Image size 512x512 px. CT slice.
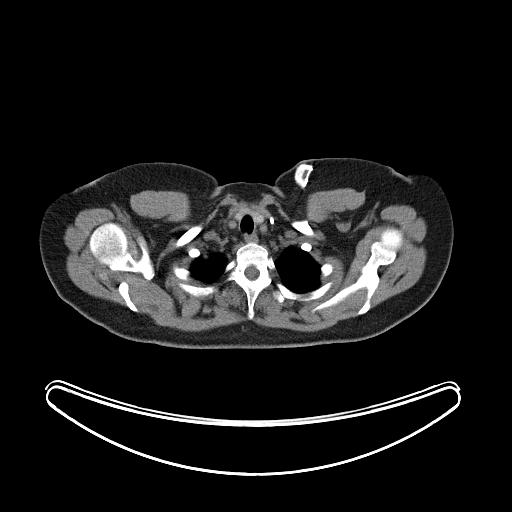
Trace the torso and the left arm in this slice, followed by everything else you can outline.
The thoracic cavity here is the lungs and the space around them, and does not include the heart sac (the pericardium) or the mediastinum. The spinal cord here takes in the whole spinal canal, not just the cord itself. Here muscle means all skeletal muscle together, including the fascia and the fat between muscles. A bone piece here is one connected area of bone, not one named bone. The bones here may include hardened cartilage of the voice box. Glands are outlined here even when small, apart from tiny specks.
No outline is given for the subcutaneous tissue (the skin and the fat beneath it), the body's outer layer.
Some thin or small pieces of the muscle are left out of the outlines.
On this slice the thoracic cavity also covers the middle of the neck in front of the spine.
The torso is outlined by 324,157 368,159 397,171 379,220 382,244 405,269 438,287 421,308 394,327 355,342 187,349 124,339 68,304 112,270 127,245 122,213 105,195 82,184 126,165 161,161 200,168 220,184 271,185 298,161. The left arm is outlined by 398,172 402,174 407,174 410,172 422,172 432,176 441,185 447,197 453,220 453,232 454,233 449,264 439,286 436,286 425,281 405,268 383,244 381,236 381,221 380,220 389,187 392,180. The spinal cord is outlined by 250,266 253,266 254,267 255,267 256,268 256,269 258,271 258,275 257,276 257,277 256,278 255,278 254,279 249,279 246,276 246,275 245,274 245,270 248,267 249,267. The muscle is outlined by 343,187 365,190 358,213 392,204 419,210 427,224 426,263 415,284 370,309 379,267 391,264 404,243 397,227 386,226 356,280 311,310 365,289 357,316 317,331 251,321 182,331 138,313 127,281 117,286 126,307 81,290 65,268 69,250 63,234 70,219 85,208 123,205 143,190 185,192 199,214 226,193 247,201 269,193 290,206 311,191; inner edges: 245,207 273,216 291,245 299,247 306,242 318,264 333,266 330,274 319,277 321,285 332,282 322,296 308,301 286,298 278,302 272,292 275,283 281,281 273,271 273,281 258,294 253,318 249,319 246,293 233,280 226,281 224,272 212,283 199,282 191,276 181,280 174,274 174,266 189,268 194,259 188,253 190,249 203,252 216,239 221,224, then 108,222 116,223 121,227 127,238 127,249 135,260 138,260 142,253 137,242 137,238 139,236 144,238 147,242 150,259 153,264 154,275 151,279 146,279 139,272 112,270 94,257 89,248 90,236 98,226, then 179,282 183,282 184,283 186,283 187,284 190,284 191,285 194,285 195,286 206,286 207,285 211,285 214,287 216,287 217,288 217,291 211,294 206,295 205,296 194,296 184,291 178,285 178,283, then 198,224 201,225 202,228 201,229 201,230 193,238 192,238 188,242 187,242 185,244 184,244 181,246 179,246 178,247 175,246 175,243 177,241 177,240 185,232 186,232 192,226 193,226 194,225 197,225, then 303,219 305,219 307,221 308,224 310,226 310,227 312,229 312,230 313,231 313,235 308,235 307,234 305,234 304,233 301,232 299,230 296,229 291,224 291,223 293,221 294,221 295,220 302,220. The thyroid glands are outlined by 245,207 249,207 263,214 264,215 264,220 261,223 256,223 254,221 252,215 250,213 248,213 247,212 246,212 241,217 240,219 238,220 236,220 234,216 236,212 237,212 240,209 242,208 244,208. The right arm is outlined by 80,185 84,185 98,191 105,196 121,213 126,228 126,245 122,258 112,269 99,277 81,295 66,303 56,293 46,274 40,255 38,237 39,236 39,229 42,216 49,203 61,192 65,190 75,188. The bones appear in 12 outlined pieces: piece 1: 108,222 116,223 121,227 127,238 127,249 135,260 138,260 142,253 137,242 137,238 139,236 144,238 147,242 150,259 153,264 154,275 151,279 146,279 139,272 112,270 94,257 89,248 90,236 98,226; piece 2: 388,226 395,227 401,232 403,243 391,263 378,267 379,282 370,299 369,310 357,315 366,297 366,289 362,288 334,305 313,311 316,306 357,280 361,274 362,267 371,254 372,243 380,238 381,232; piece 3: 248,242 255,242 262,245 273,258 275,265 275,271 272,272 272,283 264,288 258,294 254,301 254,315 252,319 249,319 247,316 248,303 246,293 233,280 226,281 227,275 224,272 227,263 235,255 238,248 with a hole at 250,266 253,266 254,267 255,267 256,268 256,269 258,271 258,275 257,276 257,277 256,278 255,278 254,279 249,279 246,276 246,275 245,274 245,270 248,267 249,267; piece 4: 330,281 332,282 330,288 322,296 316,299 312,299 308,301 300,301 299,300 294,300 286,298 280,303 272,295 272,292 276,288 275,286 276,282 280,282 293,292 296,293 306,293 312,291 318,288 321,285; piece 5: 179,282 183,282 184,283 186,283 187,284 190,284 191,285 194,285 195,286 206,286 207,285 211,285 214,287 216,287 217,288 217,291 211,294 206,295 205,296 194,296 184,291 178,285 178,283; piece 6: 122,281 125,281 127,282 128,284 128,286 129,287 128,289 128,293 129,294 130,299 133,302 133,303 138,309 138,311 137,312 134,312 132,311 126,305 124,299 118,291 118,286 119,284; piece 7: 198,224 201,225 202,228 201,229 201,230 193,238 192,238 188,242 187,242 185,244 184,244 181,246 179,246 178,247 175,246 175,243 177,241 177,240 185,232 186,232 192,226 193,226 194,225 197,225; piece 8: 303,219 305,219 307,221 308,224 310,226 310,227 312,229 312,230 313,231 313,235 308,235 307,234 305,234 304,233 301,232 299,230 296,229 291,224 291,223 293,221 294,221 295,220 302,220; piece 9: 174,266 178,266 179,267 182,267 183,268 186,268 187,269 188,269 189,270 189,272 190,273 190,278 188,280 181,280 179,278 178,278 174,274 174,273 173,272 173,271 172,270 172,269 173,268 173,267; piece 10: 325,263 330,263 333,266 333,269 332,270 332,271 330,274 329,274 328,275 327,275 324,277 321,277 320,276 321,275 321,271 320,270 320,267 321,266 321,265 322,265; piece 11: 192,248 196,248 200,252 200,254 197,257 196,257 195,258 192,258 189,255 189,254 188,253 188,251 190,249 191,249; piece 12: 304,242 306,242 307,243 308,243 309,244 310,244 310,245 311,246 311,249 309,252 308,252 307,251 306,251 305,250 304,250 303,249 302,249 300,247 300,246 301,245 301,244. The thoracic cavity is outlined by 246,213 256,224 261,224 265,216 273,216 290,244 309,253 320,265 320,285 306,292 288,288 281,282 270,252 255,241 248,241 237,248 217,281 203,283 194,279 190,264 214,242 221,224 234,214 238,221.